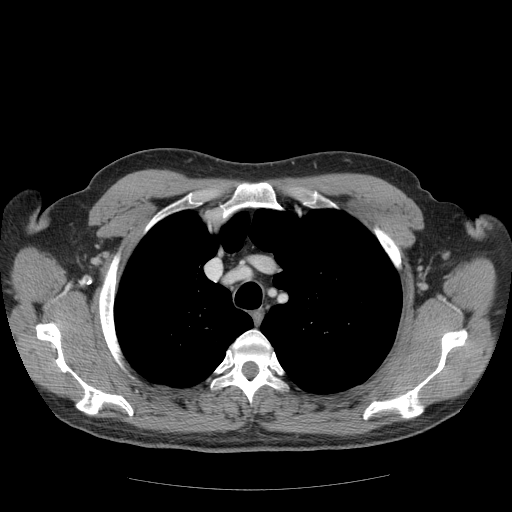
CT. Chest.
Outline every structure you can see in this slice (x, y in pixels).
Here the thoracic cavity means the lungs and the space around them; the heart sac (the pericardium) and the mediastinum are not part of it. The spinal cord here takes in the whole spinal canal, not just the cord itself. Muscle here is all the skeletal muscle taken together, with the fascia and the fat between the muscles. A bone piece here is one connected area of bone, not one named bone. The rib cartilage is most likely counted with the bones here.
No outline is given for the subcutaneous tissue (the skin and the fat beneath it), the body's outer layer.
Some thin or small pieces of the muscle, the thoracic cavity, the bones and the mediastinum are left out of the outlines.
Outlines:
mediastinum 1: 247,236 258,248 273,254 282,269 274,275 273,283 285,290 288,296 287,301 275,304 268,310 259,328 253,327 247,313 233,305 231,292 209,279 204,271 204,265 216,255 220,244 226,252 235,252 242,247
mediastinum 2: 217,205 221,208 222,208 222,212 223,213 223,217 224,218 229,216 233,212 235,211 237,211 238,210 238,211 236,212 234,214 234,215 233,215 218,229 218,234 214,234 207,230 199,214
torso: 155,147 187,148 241,162 326,150 367,153 408,168 436,199 475,217 475,254 485,293 503,321 487,365 459,411 423,433 371,447 235,453 146,448 61,421 34,385 8,321 43,286 42,208 84,188 110,162
muscle: 147,168 172,169 191,177 248,180 356,172 379,177 394,185 415,202 424,219 424,228 416,234 408,250 415,314 429,300 443,296 444,286 453,275 453,266 460,260 486,252 497,271 497,296 490,314 494,339 478,377 461,395 433,403 425,410 419,398 420,390 444,368 449,352 466,343 468,331 462,327 442,334 436,366 421,381 393,397 372,400 364,408 361,415 364,420 382,411 412,419 347,436 270,432 254,427 244,432 162,433 88,416 97,415 104,404 120,407 129,417 133,416 134,409 123,395 93,386 67,364 61,331 54,321 48,321 35,324 35,335 38,340 51,344 56,350 57,366 81,386 83,394 73,404 79,411 74,409 68,399 38,384 26,365 10,321 15,301 9,292 9,271 18,251 26,245 34,245 49,252 66,269 66,289 79,292 89,300 99,281 97,258 100,250 112,243 89,226 89,211 121,177; inner edge: 245,180 270,182 278,202 294,210 296,205 306,207 290,188 316,190 370,231 379,227 400,250 397,330 387,355 364,382 320,394 288,379 287,392 265,384 251,405 237,386 212,391 202,381 168,387 144,379 127,361 132,379 114,359 99,317 99,294 113,255 121,246 122,271 143,228 163,207 211,187 214,196 195,209 200,214 231,197 232,181
left arm: 480,211 487,211 496,215 507,227 509,235 511,238 511,275 510,276 510,282 509,283 508,298 507,299 505,313 503,318 496,308 489,301 486,293 483,278 480,270 479,262 476,254 476,216
spinal cord: 246,362 253,362 254,363 255,363 255,364 257,366 257,367 258,368 258,371 257,372 257,373 251,379 249,379 246,376 245,376 245,375 242,372 242,367 243,366 243,365
bones 1: 252,328 258,329 267,338 272,346 278,362 285,371 289,384 289,390 287,392 280,392 265,384 255,392 251,405 246,396 237,386 228,385 220,390 212,391 205,380 211,375 223,360 227,349 236,338 245,331 with a hole at 246,362 253,362 254,363 255,363 255,364 257,366 257,367 258,368 258,371 257,372 257,373 251,379 249,379 246,376 245,376 245,375 242,372 242,367 243,366 243,365
bones 2: 462,328 467,331 465,343 453,347 448,352 443,368 418,392 418,398 425,408 421,414 406,419 392,410 382,410 374,413 368,419 363,418 365,408 372,401 385,400 403,394 430,374 437,366 440,358 443,334
bones 3: 48,322 54,322 60,331 66,364 93,387 123,396 133,409 132,416 112,403 104,403 94,415 75,407 74,404 84,394 82,386 69,372 62,371 58,366 55,361 57,350 52,344 38,339 36,335 36,324
bones 4: 120,246 121,248 118,270 122,272 119,278 113,302 113,321 118,343 126,361 125,365 128,371 135,377 135,379 129,377 114,359 104,338 99,317 99,294 103,282 104,272 109,265 113,255 119,249
bones 5: 245,180 250,182 258,182 259,181 270,182 276,193 276,198 278,202 285,209 284,210 275,210 270,208 256,208 241,210 238,209 224,217 223,208 219,205 224,203 231,197 235,188 235,185 232,181 241,182
bones 6: 206,187 211,187 215,189 215,191 213,192 214,195 213,197 207,200 195,209 185,209 184,210 181,210 170,214 158,221 151,227 143,236 132,251 135,242 143,228 149,220 159,210 166,205 184,196 189,192
bones 7: 293,187 305,187 311,190 316,190 319,193 320,193 325,197 333,201 339,207 339,209 336,209 335,208 308,208 305,206 303,206 298,200 297,200 291,195 290,193 290,188 292,188
bones 8: 374,226 377,226 379,227 382,230 383,230 386,233 387,233 400,250 400,252 401,253 401,269 399,273 394,267 392,262 390,260 389,257 380,244 379,241 377,239 375,235 371,231 371,230 374,227
thoracic cavity: 287,207 298,217 346,212 398,273 400,317 377,369 330,394 288,379 259,329 288,301 274,283 283,269 247,235 235,251 220,243 203,271 252,327 200,383 139,375 114,302 151,228 196,210 218,235 239,211
right arm: 25,188 36,188 42,194 42,207 37,233 37,240 39,244 39,251 42,267 42,286 40,290 34,296 24,302 22,306 20,306 16,311 7,315 0,275 0,238 2,229 2,221 4,209 8,200 17,192